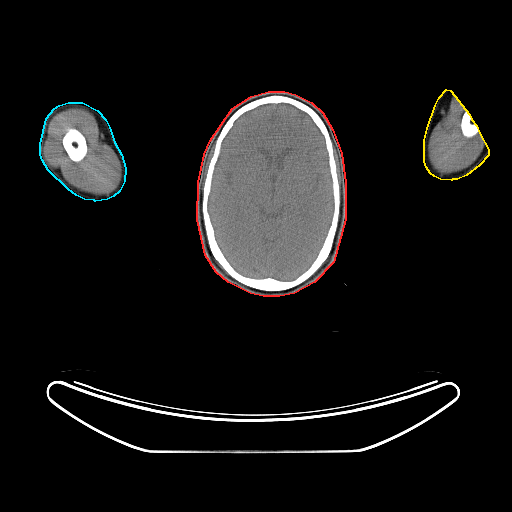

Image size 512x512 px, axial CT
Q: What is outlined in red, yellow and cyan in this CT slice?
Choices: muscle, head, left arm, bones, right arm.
A: red: head; yellow: left arm; cyan: right arm.
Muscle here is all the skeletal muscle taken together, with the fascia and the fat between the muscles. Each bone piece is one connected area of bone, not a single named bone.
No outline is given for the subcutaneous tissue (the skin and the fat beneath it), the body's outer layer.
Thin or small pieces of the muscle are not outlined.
{"head":[[[268,91],[284,91],[295,94],[311,102],[322,112],[332,129],[341,153],[345,182],[345,219],[333,262],[314,282],[294,293],[279,296],[263,296],[250,293],[228,282],[216,272],[205,255],[197,219],[198,182],[204,154],[210,140],[232,108],[251,96]]],"left_arm":[[[446,89],[450,90],[469,114],[471,119],[476,125],[479,133],[488,149],[488,155],[479,165],[466,175],[457,179],[452,179],[451,180],[440,179],[434,176],[430,173],[426,167],[424,161],[424,140],[427,128],[435,105],[439,97]]],"right_arm":[[[68,102],[82,102],[97,110],[105,119],[109,127],[114,142],[121,154],[125,168],[124,181],[119,191],[113,196],[107,199],[95,201],[94,200],[84,199],[76,195],[68,189],[48,170],[42,160],[40,154],[40,144],[46,118],[54,108],[59,105]]],"brain":[[[269,104],[290,105],[305,113],[311,119],[323,137],[331,179],[333,210],[326,234],[314,259],[308,267],[291,279],[278,279],[271,276],[253,277],[238,271],[228,260],[217,241],[208,209],[215,166],[218,161],[225,137],[236,120],[243,114],[260,106]]],"bones":[{"outer":[[270,95],[283,95],[298,100],[309,106],[321,118],[332,141],[340,191],[338,223],[327,258],[312,275],[301,283],[287,289],[275,291],[248,286],[232,277],[222,268],[210,250],[202,214],[204,181],[214,153],[216,139],[223,126],[232,114],[243,105]],"hole":[[269,104],[290,105],[305,113],[311,119],[323,137],[331,179],[333,210],[326,234],[314,259],[308,267],[291,279],[278,279],[271,276],[253,277],[238,271],[228,260],[217,241],[208,209],[215,166],[218,161],[225,137],[236,120],[243,114],[260,106]]},[[69,128],[75,128],[79,131],[80,131],[85,138],[85,141],[86,142],[86,145],[87,146],[87,151],[86,152],[85,156],[80,161],[78,161],[77,162],[73,161],[69,157],[67,152],[65,150],[63,146],[63,143],[62,142],[63,136]],[[465,110],[466,110],[466,111],[469,114],[469,115],[471,117],[471,119],[476,125],[479,131],[478,133],[477,133],[475,135],[471,137],[466,137],[464,136],[462,134],[462,132],[461,131],[461,127],[460,126],[461,125],[461,119],[462,118],[462,116]]],"muscle":[{"outer":[[71,107],[84,108],[92,113],[96,119],[100,131],[104,136],[104,140],[112,148],[119,160],[121,167],[121,177],[119,183],[114,190],[107,194],[96,195],[74,187],[63,177],[58,168],[52,167],[47,162],[44,156],[43,149],[50,120],[56,113]],"hole":[[69,128],[75,128],[79,131],[80,131],[85,138],[85,141],[86,142],[86,145],[87,146],[87,151],[86,152],[85,156],[80,161],[78,161],[77,162],[73,161],[69,157],[67,152],[65,150],[63,146],[63,143],[62,142],[63,136]]},[[452,94],[457,98],[464,108],[464,111],[460,119],[459,126],[461,134],[466,138],[471,138],[479,133],[485,143],[485,147],[475,161],[466,168],[456,172],[441,173],[437,171],[432,166],[429,160],[428,143],[434,127],[440,120],[440,112],[448,102]],[[214,143],[214,148],[213,149],[213,153],[208,163],[208,166],[206,170],[206,173],[205,174],[205,177],[204,178],[204,180],[204,174],[205,173],[205,166],[207,162],[207,159],[208,158],[208,156],[209,155],[210,150],[212,146],[214,144]]]}